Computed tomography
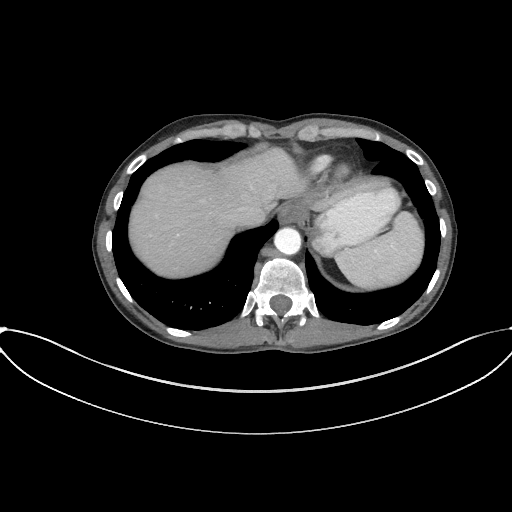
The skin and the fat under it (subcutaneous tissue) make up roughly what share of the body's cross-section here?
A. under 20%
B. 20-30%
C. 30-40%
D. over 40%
Answer: A. under 20%
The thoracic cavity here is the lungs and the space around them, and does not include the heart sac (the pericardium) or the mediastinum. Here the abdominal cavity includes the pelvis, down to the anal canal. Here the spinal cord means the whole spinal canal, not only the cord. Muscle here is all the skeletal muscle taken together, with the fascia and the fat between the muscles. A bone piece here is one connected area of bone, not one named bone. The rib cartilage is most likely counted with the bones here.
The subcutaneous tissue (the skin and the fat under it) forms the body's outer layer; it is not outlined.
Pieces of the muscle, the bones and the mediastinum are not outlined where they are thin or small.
{"pericardium":[[[316,188],[330,187],[333,185],[341,183],[355,173],[359,169],[358,168],[360,167],[357,161],[354,150],[349,146],[346,145],[341,145],[340,146],[329,145],[328,146],[317,147],[306,151],[305,152],[305,160],[304,161],[304,180],[307,184],[314,186]]],"mediastinum":[[[252,286],[253,279],[256,275],[257,276],[261,265],[266,260],[276,256],[285,257],[293,260],[300,266],[305,273],[305,235],[301,230],[294,227],[284,226],[279,223],[278,229],[267,240],[258,253],[255,264],[255,272],[252,280]],[[363,171],[370,171],[377,162],[368,161],[364,157],[363,152],[355,139],[356,138],[330,138],[311,142],[298,140],[304,147],[305,151],[321,145],[328,145],[329,144],[337,144],[338,145],[346,144],[349,145],[356,152],[357,158],[361,167],[358,170]]],"thoracic_cavity":[[[184,329],[215,326],[239,313],[257,253],[278,223],[236,235],[210,272],[165,280],[132,254],[126,236],[129,209],[143,180],[159,167],[183,159],[219,160],[244,147],[242,142],[194,139],[162,151],[131,175],[117,212],[112,243],[119,276],[144,309]],[[362,325],[393,317],[417,299],[436,267],[440,234],[438,217],[418,167],[381,142],[357,138],[365,157],[378,162],[373,173],[402,183],[426,230],[425,252],[418,270],[399,286],[369,294],[336,289],[319,274],[306,252],[307,283],[319,311],[335,321]]],"torso":[[[214,354],[264,350],[328,352],[392,336],[425,317],[448,282],[458,233],[450,194],[429,155],[385,123],[329,112],[309,112],[283,119],[245,113],[193,114],[171,121],[138,145],[116,168],[98,205],[91,239],[97,273],[113,305],[139,330],[172,346]]],"spinal_cord":[[[280,315],[281,315],[283,313],[284,313],[290,307],[290,306],[291,305],[291,301],[290,300],[290,299],[289,298],[288,298],[283,295],[277,295],[276,296],[274,296],[273,297],[272,297],[270,300],[270,305],[271,306],[271,307],[278,314],[279,314]]],"abdominal_cavity":[[[356,294],[399,285],[417,270],[425,246],[423,220],[401,183],[386,175],[358,171],[330,188],[307,185],[297,140],[258,138],[219,161],[168,164],[144,180],[131,206],[128,243],[159,277],[184,279],[210,271],[236,234],[275,219],[301,229],[320,274]]],"bones":[{"outer":[[258,325],[263,324],[265,315],[281,322],[297,315],[299,324],[303,325],[306,321],[305,309],[315,317],[320,316],[314,296],[307,286],[305,274],[293,261],[280,257],[270,259],[262,265],[258,276],[254,279],[254,285],[239,315],[243,317],[252,312]],"hole":[[280,315],[281,315],[283,313],[284,313],[290,307],[290,306],[291,305],[291,301],[290,300],[290,299],[289,298],[288,298],[283,295],[277,295],[276,296],[274,296],[273,297],[272,297],[270,300],[270,305],[271,306],[271,307],[278,314],[279,314]]},[[174,144],[194,138],[208,138],[218,136],[222,136],[226,138],[234,138],[242,136],[247,132],[251,137],[258,137],[261,133],[258,129],[253,126],[247,127],[241,123],[233,123],[226,124],[219,127],[209,127],[202,129],[186,130],[174,138],[173,140]],[[308,141],[314,140],[319,135],[325,136],[327,138],[330,137],[361,137],[374,141],[381,141],[382,139],[380,134],[375,130],[368,130],[367,129],[354,128],[353,127],[327,127],[326,128],[319,128],[316,125],[308,125],[303,127],[298,132],[299,139]],[[127,174],[131,174],[133,172],[134,172],[148,158],[148,157],[147,156],[147,155],[145,153],[142,153],[141,154],[140,154],[139,155],[138,155],[135,158],[134,158],[130,162],[130,163],[128,165],[128,166],[127,167],[127,168],[126,169],[126,173]],[[417,165],[422,165],[423,164],[423,163],[424,162],[424,161],[423,160],[423,158],[417,152],[416,152],[414,150],[413,150],[412,149],[406,149],[405,150],[405,151],[404,152],[404,153],[412,161],[413,161]],[[130,302],[134,302],[134,300],[133,299],[133,298],[130,295],[130,294],[127,290],[127,289],[125,287],[125,286],[122,282],[121,279],[118,276],[117,276],[115,278],[116,283],[117,284],[119,289],[123,294],[123,295]],[[183,337],[184,336],[188,336],[190,335],[191,333],[189,331],[187,330],[184,330],[183,329],[174,328],[170,326],[167,326],[166,327],[166,330],[168,333],[172,335],[174,335],[175,336],[182,336]],[[377,329],[385,329],[386,328],[388,328],[389,327],[394,325],[397,322],[398,322],[399,321],[399,320],[400,319],[400,316],[399,315],[398,315],[393,318],[391,318],[390,319],[388,319],[385,321],[383,321],[382,322],[379,323],[377,325]],[[425,294],[427,294],[431,290],[431,289],[433,287],[433,286],[439,275],[439,269],[438,268],[436,268],[436,269],[435,270],[435,271],[434,272],[434,273],[433,274],[433,275],[432,276],[432,277],[431,278],[426,289],[424,291],[424,293]],[[432,196],[433,195],[434,195],[436,192],[436,189],[435,188],[435,186],[434,185],[434,184],[429,179],[428,179],[427,178],[425,178],[424,179],[424,182],[425,183],[425,185],[426,186],[426,187],[427,188],[427,189],[428,190],[429,193]]],"muscle":[[[222,348],[255,345],[265,342],[296,348],[340,343],[387,332],[406,323],[419,313],[431,300],[443,279],[451,248],[449,215],[442,203],[439,184],[426,161],[424,159],[424,164],[418,166],[423,178],[429,178],[436,186],[437,192],[432,199],[438,216],[444,218],[447,226],[446,236],[441,239],[437,258],[440,275],[432,290],[427,295],[423,293],[400,314],[401,319],[394,326],[385,330],[377,330],[377,324],[365,326],[344,324],[330,320],[322,314],[319,318],[315,318],[306,310],[307,321],[303,326],[298,324],[297,316],[290,317],[283,323],[265,316],[264,324],[258,326],[251,313],[243,318],[237,315],[215,327],[188,330],[192,334],[183,338],[168,334],[165,330],[166,324],[152,316],[135,301],[130,303],[122,295],[114,280],[118,274],[112,252],[109,253],[105,248],[104,236],[107,229],[112,229],[116,217],[116,212],[112,208],[112,199],[118,190],[125,189],[129,180],[130,175],[125,173],[127,165],[109,192],[104,216],[98,230],[97,251],[107,281],[119,300],[133,314],[165,337],[185,343]],[[149,158],[173,145],[172,143],[173,138],[180,132],[186,129],[202,128],[209,126],[219,126],[226,123],[233,122],[241,122],[247,126],[253,125],[261,131],[262,134],[259,137],[268,138],[298,139],[297,132],[303,126],[308,124],[316,124],[319,127],[353,126],[368,129],[375,129],[357,123],[329,118],[309,118],[278,128],[272,125],[257,121],[245,122],[236,119],[224,119],[190,127],[161,140],[142,152],[145,152]],[[402,152],[403,152],[406,148],[412,148],[411,147],[410,147],[405,143],[397,139],[395,139],[384,133],[382,133],[378,131],[381,134],[382,136],[382,138],[383,139],[382,140],[382,142]]]}